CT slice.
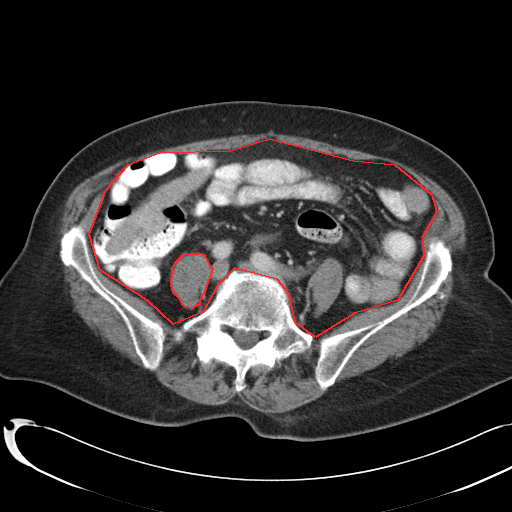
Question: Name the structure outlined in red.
Answer: red: abdominal cavity.
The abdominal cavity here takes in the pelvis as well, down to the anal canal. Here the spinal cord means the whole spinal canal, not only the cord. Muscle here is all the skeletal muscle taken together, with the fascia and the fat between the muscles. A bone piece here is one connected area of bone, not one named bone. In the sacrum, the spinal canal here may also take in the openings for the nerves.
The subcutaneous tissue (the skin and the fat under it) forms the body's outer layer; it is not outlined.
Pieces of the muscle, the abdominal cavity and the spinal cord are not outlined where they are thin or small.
The abdominal cavity is outlined by (269, 138) (353, 160) (394, 164) (431, 194) (436, 212) (422, 236) (423, 256) (397, 300) (354, 313) (315, 337) (295, 322) (289, 294) (277, 279) (234, 268) (217, 285) (202, 312) (173, 324) (147, 300) (100, 270) (89, 234) (106, 189) (128, 164) (159, 152) (230, 150) with a hole at (184, 253) (185, 254) (190, 253) (201, 253) (203, 254) (209, 265) (212, 268) (203, 294) (201, 295) (201, 298) (199, 300) (199, 305) (196, 305) (192, 308) (186, 307) (183, 305) (179, 298) (173, 292) (171, 285) (172, 268) (176, 261). The bones appear in 3 outlined pieces: piece 1: (234, 269) (277, 280) (288, 294) (294, 322) (313, 337) (303, 352) (290, 354) (270, 369) (263, 364) (252, 366) (240, 391) (235, 389) (236, 371) (232, 366) (214, 359) (207, 364) (200, 362) (193, 332) (185, 332) (179, 342) (173, 335) (174, 330) (212, 303) (218, 285) with a hole at (236, 330) (242, 330) (245, 332) (250, 332) (251, 331) (253, 331) (254, 332) (258, 333) (261, 337) (261, 338) (260, 338) (259, 340) (257, 341) (251, 347) (247, 348) (246, 349) (244, 349) (242, 348) (236, 342) (236, 341) (232, 336) (232, 333) (233, 333); piece 2: (435, 237) (444, 241) (449, 249) (452, 261) (451, 270) (439, 288) (444, 297) (439, 298) (438, 293) (431, 296) (372, 334) (352, 354) (334, 383) (325, 390) (321, 389) (315, 378) (315, 367) (320, 351) (320, 338) (367, 325) (374, 325) (406, 304) (416, 290) (429, 242); piece 3: (77, 224) (80, 224) (84, 230) (89, 259) (101, 283) (140, 313) (154, 321) (160, 322) (165, 338) (163, 341) (162, 358) (156, 369) (151, 371) (143, 366) (135, 350) (128, 329) (114, 307) (98, 294) (72, 266) (67, 266) (62, 262) (59, 253) (60, 240) (66, 231). The muscle appears in 5 outlined pieces: piece 1: (270, 130) (397, 160) (423, 173) (443, 188) (453, 199) (465, 221) (465, 246) (454, 258) (452, 297) (429, 337) (403, 355) (388, 359) (373, 369) (335, 384) (350, 358) (368, 338) (431, 297) (437, 294) (441, 300) (445, 297) (440, 288) (452, 270) (453, 261) (445, 241) (435, 236) (428, 242) (419, 280) (406, 303) (374, 324) (322, 335) (354, 314) (397, 301) (406, 291) (424, 256) (423, 236) (437, 212) (437, 207) (432, 194) (413, 175) (394, 163) (325, 153) (285, 143) (273, 137) (230, 149) (202, 149) (181, 153) (159, 151) (128, 163) (105, 189) (87, 241) (83, 226) (80, 223) (74, 224) (62, 234) (59, 251) (59, 228) (65, 202) (72, 190) (91, 175) (130, 156) (193, 141) (259, 134); piece 2: (88, 242) (94, 262) (105, 276) (147, 301) (169, 324) (182, 322) (172, 332) (176, 342) (185, 333) (195, 335) (195, 354) (202, 365) (214, 360) (234, 369) (236, 392) (246, 387) (246, 374) (252, 367) (263, 365) (270, 370) (290, 355) (303, 353) (320, 336) (314, 378) (321, 390) (329, 388) (313, 401) (271, 414) (250, 407) (237, 396) (218, 405) (180, 396) (160, 383) (153, 372) (163, 358) (166, 335) (161, 322) (102, 283) (93, 268); piece 3: (61, 261) (65, 266) (72, 267) (79, 276) (118, 313) (127, 329) (134, 350) (139, 357) (143, 367) (135, 364) (127, 357) (116, 351) (110, 344) (103, 341) (101, 337) (95, 334) (94, 331) (73, 310) (72, 299) (68, 292) (70, 288) (68, 284) (64, 281); piece 4: (184, 253) (185, 254) (190, 253) (201, 253) (203, 254) (209, 265) (212, 268) (203, 294) (201, 295) (201, 298) (199, 300) (199, 305) (196, 305) (192, 308) (186, 307) (183, 305) (179, 298) (173, 292) (171, 285) (172, 268) (176, 261); piece 5: (330, 259) (337, 260) (341, 264) (343, 268) (343, 280) (342, 281) (342, 285) (339, 293) (333, 303) (332, 303) (324, 312) (319, 315) (314, 315) (314, 307) (315, 305) (312, 302) (311, 293) (310, 290) (308, 289) (308, 282) (312, 274) (316, 269) (326, 260) (329, 260). The spinal cord is outlined by (236, 330) (242, 330) (245, 332) (250, 332) (251, 331) (253, 331) (254, 332) (258, 333) (261, 337) (261, 338) (260, 338) (259, 340) (257, 341) (251, 347) (247, 348) (246, 349) (244, 349) (242, 348) (236, 342) (236, 341) (232, 336) (232, 333) (233, 333). The torso is outlined by (232, 100) (320, 105) (374, 117) (429, 141) (465, 170) (493, 229) (489, 276) (511, 297) (510, 380) (406, 423) (298, 441) (259, 436) (237, 417) (186, 426) (140, 423) (41, 383) (0, 377) (0, 277) (23, 246) (34, 211) (64, 164) (90, 141) (122, 125) (181, 107).